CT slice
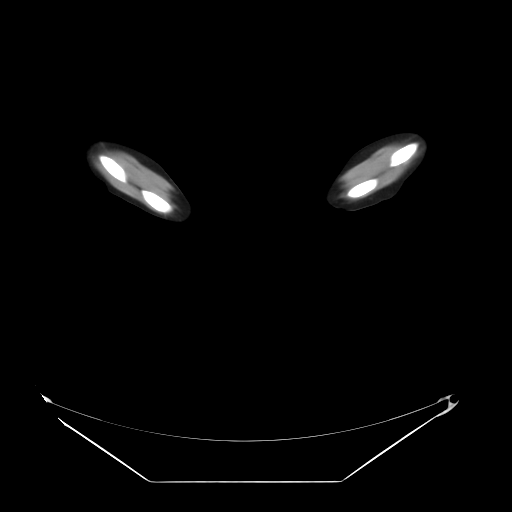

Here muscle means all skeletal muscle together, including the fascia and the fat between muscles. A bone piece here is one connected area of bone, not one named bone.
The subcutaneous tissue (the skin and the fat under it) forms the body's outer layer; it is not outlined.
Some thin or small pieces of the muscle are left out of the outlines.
The muscle appears in 2 outlined pieces: piece 1: (96, 148) (117, 149) (127, 152) (135, 157) (142, 164) (161, 175) (174, 188) (174, 201) (177, 204) (178, 208) (173, 213) (169, 214) (173, 211) (172, 205) (165, 198) (149, 189) (142, 188) (140, 190) (140, 194) (147, 206) (135, 198) (115, 188) (92, 163) (90, 153) with a hole at (100, 154) (103, 154) (104, 155) (106, 155) (112, 158) (122, 166) (122, 167) (124, 169) (127, 175) (127, 181) (126, 183) (123, 183) (116, 178) (115, 178) (112, 175) (111, 175) (104, 168) (104, 167) (102, 165) (102, 164) (100, 162) (98, 158); piece 2: (402, 140) (421, 140) (424, 143) (425, 145) (425, 148) (423, 150) (422, 153) (413, 162) (413, 163) (399, 178) (398, 178) (391, 184) (376, 191) (374, 193) (364, 198) (361, 198) (355, 201) (349, 202) (344, 199) (342, 199) (338, 197) (338, 194) (341, 191) (341, 189) (340, 188) (340, 181) (339, 180) (341, 176) (348, 169) (368, 157) (378, 148) (386, 144) (388, 144) (392, 142) (401, 141) with holes at (411, 142) (416, 142) (418, 144) (418, 147) (416, 151) (414, 153) (414, 154) (407, 161) (403, 163) (401, 163) (396, 166) (393, 166) (392, 167) (390, 166) (389, 165) (389, 163) (390, 162) (390, 156) (392, 154) (392, 153) (397, 149) and at (371, 178) (376, 178) (378, 180) (378, 183) (376, 187) (373, 190) (369, 192) (366, 195) (364, 195) (358, 198) (351, 198) (350, 197) (348, 197) (346, 195) (347, 193) (347, 191) (351, 187) (354, 186) (356, 184) (360, 182) (362, 182) (365, 180) (367, 180). The bones appear in 4 outlined pieces: piece 1: (142, 189) (145, 189) (146, 190) (149, 190) (150, 191) (152, 191) (156, 194) (159, 195) (164, 199) (165, 199) (171, 205) (171, 206) (172, 207) (172, 211) (169, 213) (162, 213) (161, 212) (158, 212) (157, 211) (152, 209) (145, 202) (145, 201) (141, 194) (141, 190); piece 2: (100, 154) (103, 154) (104, 155) (106, 155) (112, 158) (122, 166) (122, 167) (124, 169) (127, 175) (127, 181) (126, 183) (123, 183) (116, 178) (115, 178) (112, 175) (111, 175) (104, 168) (104, 167) (102, 165) (102, 164) (100, 162) (98, 158); piece 3: (411, 142) (416, 142) (418, 144) (418, 147) (416, 151) (414, 153) (414, 154) (407, 161) (403, 163) (401, 163) (396, 166) (393, 166) (392, 167) (390, 166) (389, 165) (389, 163) (390, 162) (390, 156) (392, 154) (392, 153) (397, 149); piece 4: (371, 178) (376, 178) (378, 180) (378, 183) (376, 187) (373, 190) (369, 192) (366, 195) (364, 195) (358, 198) (351, 198) (350, 197) (348, 197) (346, 195) (347, 193) (347, 191) (351, 187) (354, 186) (356, 184) (360, 182) (362, 182) (365, 180) (367, 180). The right arm is outlined by (94, 137) (108, 137) (119, 140) (141, 150) (157, 161) (174, 180) (190, 201) (193, 209) (193, 214) (189, 221) (183, 224) (176, 224) (168, 222) (165, 220) (152, 216) (108, 192) (104, 185) (90, 173) (84, 163) (83, 159) (83, 147) (84, 144) (89, 139). The left arm is outlined by (404, 130) (414, 130) (427, 136) (429, 140) (430, 149) (425, 161) (417, 171) (405, 182) (395, 196) (388, 200) (380, 202) (378, 204) (355, 211) (333, 210) (328, 208) (324, 204) (322, 195) (326, 186) (336, 175) (345, 161) (354, 152) (366, 144) (380, 137) (394, 132).